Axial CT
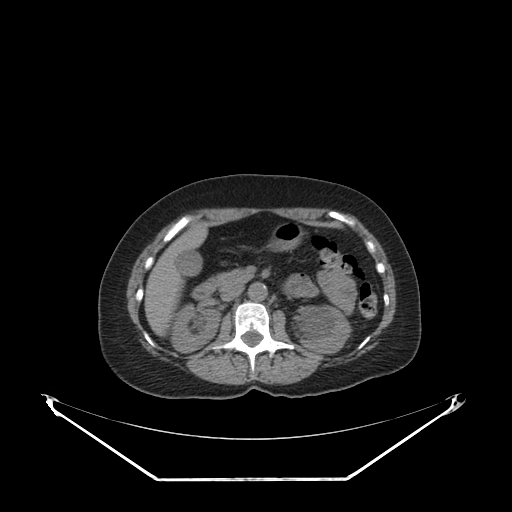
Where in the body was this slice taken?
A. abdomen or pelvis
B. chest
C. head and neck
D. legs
Answer: A. abdomen or pelvis
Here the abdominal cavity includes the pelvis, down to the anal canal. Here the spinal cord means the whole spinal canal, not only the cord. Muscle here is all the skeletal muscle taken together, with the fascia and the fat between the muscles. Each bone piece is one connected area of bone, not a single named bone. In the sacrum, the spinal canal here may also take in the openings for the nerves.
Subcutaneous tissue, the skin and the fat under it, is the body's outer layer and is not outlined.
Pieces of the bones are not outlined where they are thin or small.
abdominal cavity: [[263,212],[310,226],[355,232],[382,280],[383,311],[377,326],[350,351],[326,356],[291,340],[283,311],[269,313],[264,304],[247,300],[223,316],[217,336],[200,351],[184,355],[156,343],[142,325],[139,311],[144,278],[158,253],[186,226],[217,226]]
muscle 1: [[217,207],[254,207],[255,208],[261,208],[262,207],[269,207],[270,208],[278,208],[279,207],[318,207],[319,208],[329,208],[332,209],[330,209],[326,213],[329,217],[340,221],[350,228],[352,228],[355,226],[356,224],[355,220],[351,217],[349,217],[345,214],[335,210],[354,215],[380,243],[386,254],[387,260],[392,268],[393,274],[394,275],[394,279],[395,280],[395,291],[396,292],[396,307],[395,308],[395,312],[392,321],[387,326],[387,329],[379,343],[375,347],[367,351],[354,360],[352,360],[344,364],[340,364],[339,365],[326,367],[325,368],[319,368],[308,377],[306,377],[300,381],[290,384],[267,384],[257,380],[247,382],[243,384],[239,384],[238,385],[214,383],[201,379],[190,372],[182,370],[177,366],[175,366],[165,361],[160,360],[148,352],[141,345],[140,342],[138,340],[138,334],[127,310],[126,290],[127,289],[128,280],[131,274],[132,267],[137,257],[141,253],[143,249],[154,239],[157,233],[163,227],[178,216],[192,210],[195,210],[200,208],[216,208]] with a hole at [[263,212],[349,229],[373,243],[389,303],[369,340],[336,356],[296,343],[272,357],[263,351],[252,373],[244,352],[212,349],[235,335],[228,312],[200,351],[175,355],[152,346],[135,294],[146,259],[166,246],[168,230],[184,215],[193,216],[192,227]]
muscle 2: [[275,310],[280,310],[282,312],[283,312],[285,316],[285,331],[288,337],[293,343],[291,342],[290,343],[289,342],[285,342],[281,340],[277,340],[272,337],[271,335],[271,332],[270,331],[270,314],[271,314],[272,312],[273,312]]
torso: [[239,173],[297,175],[332,181],[360,191],[383,209],[406,246],[419,285],[421,340],[414,358],[405,367],[319,395],[288,398],[252,389],[229,399],[154,396],[126,384],[108,368],[98,343],[98,290],[105,266],[122,235],[145,209],[167,193],[197,180]]
spinal cord: [[252,330],[253,330],[254,331],[256,331],[259,334],[260,334],[262,336],[262,338],[260,340],[260,341],[257,344],[256,344],[254,346],[249,346],[246,343],[245,343],[243,341],[243,340],[242,339],[242,336],[246,332],[248,332],[249,331],[251,331]]
bones 1: [[247,301],[260,303],[265,306],[269,314],[269,331],[273,339],[294,345],[293,349],[277,349],[272,357],[269,356],[267,351],[258,353],[255,356],[252,373],[249,358],[244,352],[228,348],[212,349],[213,346],[228,342],[234,337],[235,310],[238,305]]; inner edge: [[252,330],[253,330],[254,331],[256,331],[259,334],[260,334],[262,336],[262,338],[260,340],[260,341],[257,344],[256,344],[254,346],[249,346],[246,343],[245,343],[243,341],[243,340],[242,339],[242,336],[246,332],[248,332],[249,331],[251,331]]
bones 2: [[184,215],[192,215],[193,216],[193,218],[187,224],[187,225],[186,225],[183,228],[182,228],[169,241],[168,241],[167,242],[164,242],[163,241],[163,238],[164,237],[164,236],[166,234],[166,233],[168,231],[168,230],[181,217],[182,217]]
bones 3: [[330,210],[334,210],[337,212],[339,212],[345,215],[349,218],[351,218],[353,220],[354,220],[355,222],[355,224],[354,226],[352,227],[350,227],[348,225],[342,222],[340,220],[338,219],[336,219],[335,218],[333,218],[329,216],[327,213]]
bones 4: [[367,240],[369,240],[370,241],[371,241],[373,243],[373,244],[374,245],[374,246],[375,247],[375,251],[373,253],[371,253],[367,249],[367,248],[366,247],[366,245],[365,244],[365,243],[364,242],[365,241],[366,241]]
bones 5: [[150,256],[151,256],[152,257],[153,257],[154,258],[154,260],[153,261],[153,263],[151,265],[151,266],[148,269],[146,269],[144,267],[144,264],[145,263],[145,261],[146,260],[146,259],[148,257],[149,257]]
bones 6: [[144,331],[145,331],[148,334],[148,335],[151,338],[151,339],[155,343],[155,344],[156,345],[156,346],[155,347],[154,347],[153,346],[152,346],[146,340],[146,339],[144,337],[144,335],[143,334],[143,333],[144,332]]
bones 7: [[368,335],[369,335],[370,336],[370,338],[369,339],[369,340],[361,348],[360,348],[359,349],[357,349],[357,347],[358,346],[358,345]]